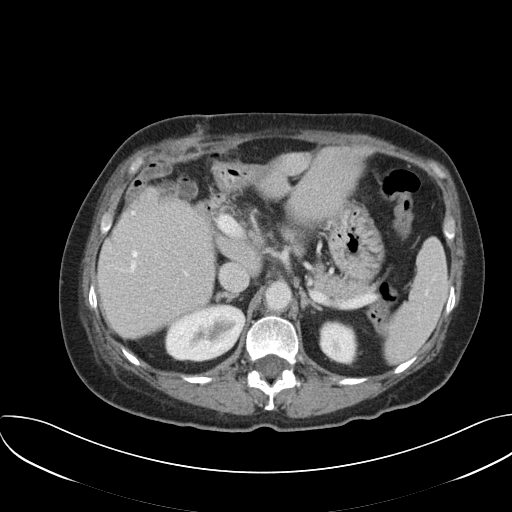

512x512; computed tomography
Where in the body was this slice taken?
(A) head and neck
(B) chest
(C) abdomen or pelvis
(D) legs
Answer: (C) abdomen or pelvis
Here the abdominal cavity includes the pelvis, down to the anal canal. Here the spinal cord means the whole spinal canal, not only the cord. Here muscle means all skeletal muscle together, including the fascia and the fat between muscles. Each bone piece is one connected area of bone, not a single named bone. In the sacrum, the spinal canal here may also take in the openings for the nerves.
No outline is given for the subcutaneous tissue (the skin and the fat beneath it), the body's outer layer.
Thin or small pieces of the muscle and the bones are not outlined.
{"torso":[[[248,111],[378,114],[425,134],[452,159],[470,197],[482,238],[483,301],[455,370],[421,402],[337,427],[285,432],[260,427],[222,432],[178,426],[121,410],[96,396],[76,374],[61,333],[58,280],[69,230],[91,185],[119,145],[152,122],[184,114]]],"spinal_cord":[[[269,354],[273,354],[274,355],[276,355],[280,358],[284,359],[287,363],[287,366],[285,368],[284,368],[277,376],[275,377],[267,378],[266,377],[264,377],[262,375],[262,374],[256,368],[256,361],[258,359],[262,358],[266,355],[268,355]]],"abdominal_cavity":[[[263,138],[382,149],[414,161],[439,185],[450,255],[447,298],[429,339],[393,369],[368,376],[331,374],[309,361],[293,323],[275,314],[251,324],[228,365],[201,375],[154,367],[106,327],[98,309],[96,260],[132,177],[157,157],[181,157]]],"muscle":[{"outer":[[268,129],[270,130],[275,129],[279,130],[306,130],[308,129],[309,130],[327,130],[328,131],[338,131],[339,132],[364,133],[381,138],[395,145],[411,151],[417,155],[437,160],[448,169],[455,184],[460,205],[462,237],[464,242],[464,250],[465,251],[465,258],[464,259],[463,273],[462,274],[462,285],[461,286],[459,302],[453,312],[451,320],[448,325],[447,331],[445,334],[443,345],[439,353],[431,361],[425,364],[421,368],[406,376],[391,387],[374,397],[366,399],[354,405],[338,409],[328,413],[308,417],[293,418],[286,416],[281,413],[272,411],[263,411],[250,415],[237,415],[226,412],[224,413],[217,410],[197,406],[176,399],[152,387],[129,374],[126,371],[122,370],[108,354],[106,349],[99,340],[87,315],[82,295],[81,267],[86,242],[90,234],[90,231],[94,220],[94,216],[97,209],[98,201],[102,191],[109,178],[120,163],[136,150],[143,146],[157,143],[165,139],[185,137],[188,135],[224,134],[225,133],[237,133],[238,132],[249,132],[250,131],[262,131]],"holes":[[[263,138],[359,144],[409,158],[425,168],[437,182],[444,217],[449,214],[455,221],[454,238],[447,241],[454,307],[447,315],[441,315],[415,360],[399,373],[390,369],[369,375],[360,383],[339,385],[337,381],[343,378],[309,361],[299,339],[294,373],[300,385],[280,390],[274,396],[273,410],[264,409],[268,396],[262,390],[247,385],[250,362],[244,343],[228,365],[201,375],[212,377],[211,381],[189,382],[179,373],[154,367],[140,358],[140,365],[130,362],[121,344],[106,327],[99,310],[90,306],[88,297],[90,285],[96,286],[96,260],[104,237],[100,232],[101,218],[108,210],[114,217],[133,176],[128,169],[137,157],[143,157],[139,170],[157,157],[181,157]],[[433,164],[436,164],[444,172],[444,173],[445,174],[445,177],[444,178],[440,178],[439,177],[438,177],[438,176],[437,175],[436,175],[436,174],[433,171],[433,170],[432,169],[432,165]]]}],"bones":[{"outer":[[268,315],[279,316],[290,321],[298,337],[298,351],[295,356],[294,373],[300,385],[280,390],[274,396],[275,408],[273,410],[264,409],[268,401],[268,396],[257,387],[249,387],[246,382],[246,376],[250,366],[249,355],[245,347],[247,332],[255,321]],"hole":[[269,354],[273,354],[274,355],[276,355],[280,358],[284,359],[287,363],[287,366],[285,368],[284,368],[277,376],[275,377],[267,378],[266,377],[264,377],[262,375],[262,374],[256,368],[256,361],[258,359],[262,358],[266,355],[268,355]]},[[448,214],[449,214],[450,215],[451,215],[453,217],[453,218],[455,221],[455,235],[454,236],[454,238],[452,240],[448,240],[446,238],[446,237],[444,234],[444,232],[443,231],[443,226],[444,225],[444,219],[446,217],[446,216]],[[181,375],[200,375],[201,376],[208,376],[209,377],[212,377],[213,378],[213,379],[209,382],[207,382],[206,383],[203,383],[202,384],[201,384],[200,383],[193,383],[192,382],[189,382],[188,381],[186,381],[185,380],[184,380],[181,377]],[[449,285],[452,285],[454,287],[454,294],[455,295],[455,303],[454,304],[454,307],[452,309],[452,310],[447,315],[445,315],[445,314],[444,313],[444,310],[445,309],[445,306],[446,305],[446,302],[447,301],[447,299],[448,298],[448,292],[449,291]],[[364,376],[367,376],[368,377],[368,378],[367,379],[367,380],[366,380],[365,381],[363,381],[360,383],[356,383],[355,384],[343,384],[342,385],[339,385],[337,383],[337,381],[339,379],[342,379],[343,378],[349,378],[350,377],[363,377]],[[91,284],[93,284],[94,285],[94,286],[95,287],[95,292],[96,293],[96,298],[97,299],[97,311],[95,311],[90,306],[90,305],[89,304],[89,298],[88,297],[88,296],[89,295],[89,288],[90,287],[90,285]],[[139,156],[142,156],[143,157],[143,163],[138,168],[138,169],[137,170],[137,171],[133,175],[131,175],[130,174],[129,174],[128,173],[128,169],[129,168],[129,167],[130,166],[130,165],[131,164],[131,163],[137,157],[138,157]],[[121,345],[122,346],[123,346],[128,351],[129,351],[131,353],[132,353],[139,360],[139,361],[141,363],[141,364],[140,365],[135,365],[134,364],[133,364],[131,362],[130,362],[125,357],[125,356],[123,354],[123,353],[122,352],[122,351],[121,350]],[[415,355],[416,355],[416,358],[415,359],[415,360],[407,368],[406,368],[403,371],[402,371],[399,373],[393,373],[393,370],[398,365],[399,365],[400,364],[401,364],[403,362],[404,362],[405,361],[408,360],[410,358],[411,358],[413,356],[414,356]],[[433,164],[436,164],[444,172],[444,173],[445,174],[445,177],[444,178],[440,178],[439,177],[438,177],[438,176],[437,175],[436,175],[436,174],[433,171],[433,170],[432,169],[432,165]]]}